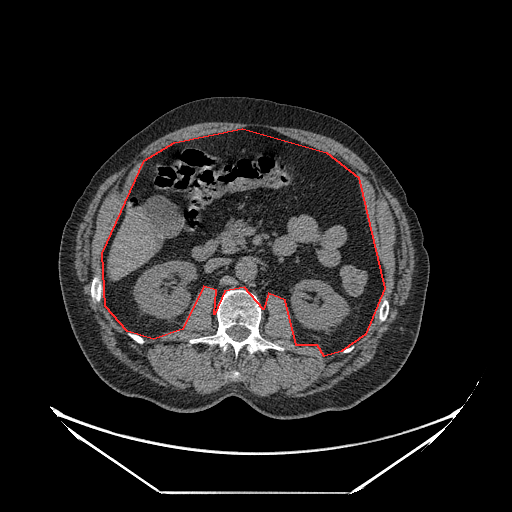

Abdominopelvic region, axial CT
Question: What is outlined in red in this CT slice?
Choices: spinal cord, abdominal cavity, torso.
Answer: red: abdominal cavity.
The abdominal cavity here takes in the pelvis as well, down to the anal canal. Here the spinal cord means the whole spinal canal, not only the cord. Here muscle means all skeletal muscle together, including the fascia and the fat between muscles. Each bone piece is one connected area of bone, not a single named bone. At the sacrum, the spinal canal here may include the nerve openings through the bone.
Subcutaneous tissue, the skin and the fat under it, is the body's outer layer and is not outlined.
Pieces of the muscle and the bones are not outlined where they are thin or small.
Outlined structures:
abdominal cavity: 242 128; 326 152; 358 177; 384 288; 365 334; 341 351; 324 356; 317 345; 296 345; 285 300; 268 293; 263 309; 244 287; 224 291; 214 314; 216 290; 203 286; 182 329; 153 339; 127 331; 105 306; 102 253; 144 160; 174 142
muscle: 202 122; 261 123; 262 124; 268 124; 274 126; 291 127; 292 128; 303 129; 332 138; 353 151; 369 166; 397 199; 401 206; 402 210; 405 214; 410 231; 410 238; 414 249; 414 271; 413 272; 413 279; 412 280; 411 291; 407 299; 407 301; 394 326; 374 355; 371 361; 363 367; 361 367; 358 370; 353 372; 344 379; 339 381; 332 387; 326 390; 323 390; 310 395; 302 396; 301 397; 287 397; 286 396; 285 397; 263 397; 262 396; 258 396; 252 393; 249 390; 246 389; 243 385; 229 383; 222 386; 216 391; 207 394; 188 393; 184 391; 181 391; 176 389; 171 389; 169 387; 165 387; 159 385; 149 379; 143 377; 139 373; 132 370; 129 367; 120 362; 117 358; 110 353; 101 339; 101 336; 98 331; 98 329; 86 305; 81 288; 76 276; 76 269; 74 263; 75 262; 75 253; 76 252; 75 249; 76 238; 77 237; 77 232; 79 228; 79 225; 83 220; 89 204; 94 197; 99 186; 128 159; 158 138; 177 129; inner edges: 242 128; 277 132; 326 152; 358 177; 384 288; 365 334; 348 353; 324 356; 317 345; 299 346; 291 341; 290 310; 275 293; 265 296; 259 333; 285 350; 268 348; 249 354; 243 348; 237 358; 230 346; 223 352; 218 345; 188 342; 217 330; 216 290; 210 285; 195 295; 182 329; 165 331; 143 344; 110 315; 103 295; 99 302; 92 301; 91 281; 102 273; 104 247; 144 160; 174 142, then 383 298; 386 298; 387 299; 387 300; 389 303; 389 312; 388 313; 388 316; 387 317; 387 318; 385 320; 385 321; 384 321; 383 322; 380 322; 379 321; 379 307; 380 306; 380 305; 382 302; 382 300; 383 299, then 234 369; 235 369; 236 370; 237 370; 239 372; 239 377; 236 380; 235 380; 234 381; 233 380; 232 380; 229 377; 229 375; 230 374; 230 372; 232 370; 233 370
bones 1: 230 288; 244 288; 257 296; 262 309; 260 335; 284 347; 285 350; 268 348; 263 352; 249 354; 243 348; 236 358; 230 346; 223 352; 218 345; 212 346; 201 342; 189 344; 191 338; 212 335; 216 332; 218 327; 216 304; 222 294 with a hole at 236 325; 238 326; 241 326; 242 327; 244 327; 246 328; 249 331; 249 334; 243 340; 241 340; 240 341; 237 341; 236 340; 234 340; 232 338; 231 338; 231 337; 227 333; 227 330; 229 328; 233 326; 235 326
bones 2: 99 272; 100 272; 101 274; 101 280; 102 281; 102 288; 103 289; 102 290; 102 296; 101 297; 101 299; 100 301; 97 303; 96 302; 93 302; 92 301; 92 299; 91 298; 91 295; 90 294; 90 289; 91 288; 91 281; 94 275
bones 3: 383 298; 386 298; 387 299; 387 300; 389 303; 389 312; 388 313; 388 316; 387 317; 387 318; 385 320; 385 321; 384 321; 383 322; 380 322; 379 321; 379 307; 380 306; 380 305; 382 302; 382 300; 383 299
bones 4: 127 332; 132 332; 133 333; 135 333; 136 334; 137 334; 138 335; 139 335; 142 338; 143 338; 144 339; 144 340; 145 341; 145 342; 143 344; 139 344; 138 343; 137 343; 135 341; 134 341; 127 334
bones 5: 234 369; 235 369; 236 370; 237 370; 239 372; 239 377; 236 380; 235 380; 234 381; 233 380; 232 380; 229 377; 229 375; 230 374; 230 372; 232 370; 233 370
torso: 212 96; 268 99; 343 121; 380 155; 418 217; 429 256; 429 280; 417 340; 396 375; 348 409; 278 419; 258 412; 239 397; 229 396; 201 411; 171 411; 107 385; 74 337; 59 284; 58 252; 75 202; 98 168; 130 137; 170 109
spinal cord: 236 325; 238 326; 241 326; 242 327; 244 327; 246 328; 249 331; 249 334; 243 340; 241 340; 240 341; 237 341; 236 340; 234 340; 232 338; 231 338; 231 337; 227 333; 227 330; 229 328; 233 326; 235 326